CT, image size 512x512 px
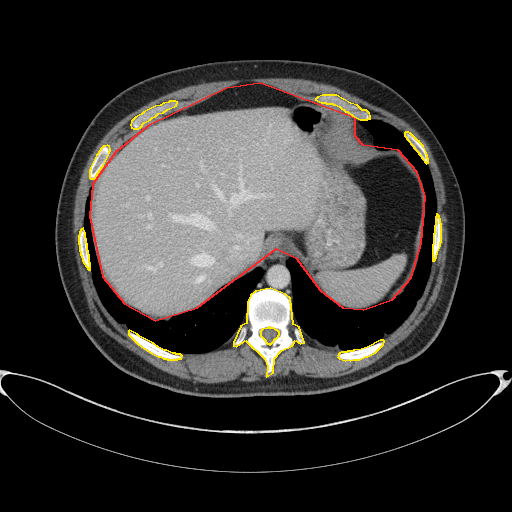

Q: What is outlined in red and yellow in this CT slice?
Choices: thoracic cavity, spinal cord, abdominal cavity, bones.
A: red: abdominal cavity; yellow: bones.
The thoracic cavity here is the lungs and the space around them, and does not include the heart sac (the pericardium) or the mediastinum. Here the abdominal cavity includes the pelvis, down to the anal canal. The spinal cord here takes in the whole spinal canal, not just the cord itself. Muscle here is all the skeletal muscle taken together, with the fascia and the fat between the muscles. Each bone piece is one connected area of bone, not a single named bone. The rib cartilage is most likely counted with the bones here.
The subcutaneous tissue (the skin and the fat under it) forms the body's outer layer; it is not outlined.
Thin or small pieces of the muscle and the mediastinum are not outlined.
Outlines:
abdominal cavity: (155, 320) (197, 307) (276, 248) (295, 257) (320, 290) (342, 307) (363, 309) (392, 299) (411, 277) (421, 243) (425, 196) (417, 172) (398, 150) (363, 145) (355, 136) (355, 118) (260, 83) (226, 88) (147, 126) (115, 152) (92, 184) (89, 216) (102, 276) (124, 303)
bones 1: (266, 376) (273, 372) (274, 358) (281, 350) (292, 345) (295, 340) (300, 343) (304, 342) (299, 327) (293, 324) (290, 298) (285, 294) (270, 288) (255, 291) (250, 295) (247, 302) (246, 323) (240, 326) (233, 342) (233, 345) (236, 346) (245, 340) (264, 358) (267, 366) with a hole at (269, 344) (270, 344) (274, 340) (274, 339) (275, 338) (276, 338) (278, 336) (278, 335) (279, 334) (279, 332) (277, 330) (276, 330) (273, 328) (270, 328) (269, 327) (268, 327) (267, 328) (262, 329) (260, 331) (260, 335) (265, 340) (265, 341) (267, 343) (268, 343)
bones 2: (360, 119) (367, 119) (368, 118) (370, 118) (370, 115) (369, 113) (366, 110) (362, 110) (357, 105) (350, 103) (336, 95) (322, 95) (317, 97) (315, 99) (321, 102) (325, 102) (326, 103) (332, 103) (333, 104) (335, 104) (339, 106) (345, 111) (347, 111) (352, 115)
bones 3: (167, 359) (177, 359) (178, 358) (181, 358) (182, 356) (180, 354) (176, 354) (175, 353) (172, 353) (166, 350) (164, 350) (158, 347) (153, 343) (139, 336) (137, 334) (129, 330) (128, 331) (128, 334) (138, 344) (150, 352) (158, 356) (160, 356) (163, 358) (166, 358)
bones 4: (133, 128) (138, 128) (140, 127) (144, 122) (150, 119) (152, 117) (155, 116) (158, 113) (163, 112) (167, 109) (176, 105) (177, 102) (175, 101) (169, 101) (168, 102) (163, 103) (160, 105) (155, 106) (143, 112) (141, 114) (135, 117) (131, 121) (130, 125) (131, 127)
bones 5: (345, 360) (348, 359) (350, 360) (353, 359) (359, 359) (365, 356) (367, 356) (375, 352) (383, 344) (384, 341) (383, 340) (380, 340) (367, 347) (361, 349) (353, 350) (352, 351) (347, 351) (346, 352) (341, 352) (339, 353) (337, 356) (339, 358)
bones 6: (90, 178) (94, 178) (97, 174) (97, 173) (99, 171) (99, 170) (101, 168) (101, 167) (103, 165) (109, 153) (109, 151) (110, 150) (110, 148) (109, 146) (107, 145) (105, 146) (103, 146) (100, 149) (100, 150) (96, 155) (90, 167) (90, 169) (89, 170) (89, 177)
bones 7: (432, 260) (434, 260) (436, 257) (437, 252) (440, 246) (440, 242) (441, 241) (441, 224) (440, 223) (440, 219) (439, 218) (439, 216) (437, 214) (436, 214) (436, 216) (435, 217) (435, 225) (434, 226) (434, 233) (433, 234) (433, 244) (432, 245)
bones 8: (88, 269) (90, 269) (90, 263) (89, 262) (89, 255) (88, 254) (88, 251) (87, 250) (87, 244) (86, 243) (85, 232) (83, 228) (81, 229) (79, 232) (79, 235) (78, 236) (78, 243) (79, 244) (79, 250) (80, 251) (80, 254) (81, 255) (82, 260)
bones 9: (426, 163) (428, 162) (428, 159) (427, 158) (427, 155) (426, 154) (426, 152) (423, 146) (419, 142) (419, 141) (418, 141) (410, 133) (408, 132) (405, 132) (404, 133) (404, 135) (406, 137) (406, 138) (413, 146) (413, 147) (418, 152) (418, 153) (421, 156) (421, 157)
spinal cord: (269, 344) (270, 344) (274, 340) (274, 339) (275, 338) (276, 338) (278, 336) (278, 335) (279, 334) (279, 332) (277, 330) (276, 330) (273, 328) (270, 328) (269, 327) (268, 327) (267, 328) (262, 329) (260, 331) (260, 335) (265, 340) (265, 341) (267, 343) (268, 343)
torso: (212, 398) (312, 395) (347, 388) (413, 360) (439, 334) (463, 259) (462, 194) (430, 127) (403, 96) (382, 81) (349, 68) (302, 60) (236, 59) (191, 65) (156, 74) (119, 92) (96, 113) (77, 143) (58, 198) (55, 252) (60, 279) (79, 324) (122, 371) (176, 393)
mediastinum 1: (291, 299) (292, 298) (291, 277) (289, 270) (287, 268) (285, 263) (288, 258) (287, 255) (285, 252) (277, 249) (267, 252) (260, 266) (263, 269) (263, 275) (257, 285) (254, 288) (253, 291) (264, 287) (270, 287) (285, 293)
mediastinum 2: (373, 149) (378, 149) (376, 148) (374, 145) (374, 141) (373, 140) (373, 137) (362, 126) (361, 126) (359, 124) (359, 122) (361, 120) (359, 119) (357, 119) (356, 118) (355, 119) (355, 129) (356, 130) (356, 136) (363, 144)
muscle: (206, 383) (224, 382) (234, 379) (239, 379) (242, 381) (255, 381) (256, 380) (260, 380) (263, 377) (267, 378) (276, 376) (286, 376) (290, 375) (292, 373) (295, 373) (299, 375) (304, 375) (308, 377) (336, 377) (337, 376) (341, 376) (365, 367) (376, 361) (407, 337) (423, 319) (437, 298) (444, 276) (445, 259) (446, 258) (446, 250) (447, 249) (447, 227) (446, 226) (447, 218) (446, 217) (446, 207) (445, 206) (445, 191) (441, 178) (441, 174) (427, 143) (418, 132) (407, 122) (391, 112) (374, 105) (333, 85) (307, 79) (302, 79) (301, 78) (280, 78) (279, 77) (274, 77) (273, 78) (248, 78) (247, 79) (234, 79) (233, 80) (203, 82) (195, 85) (190, 85) (167, 93) (150, 101) (145, 105) (125, 116) (118, 121) (99, 141) (89, 156) (80, 177) (80, 180) (76, 190) (75, 201) (74, 202) (74, 210) (73, 211) (73, 230) (72, 231) (74, 237) (74, 250) (76, 256) (78, 271) (81, 278) (81, 283) (86, 296) (90, 313) (95, 322) (102, 330) (123, 346) (140, 356) (149, 363) (168, 373) (176, 375) (179, 377) (186, 379) (191, 379) (193, 381) (199, 381) with holes at (266, 376) (281, 350) (304, 342) (302, 331) (342, 350) (341, 359) (375, 352) (420, 297) (441, 224) (426, 152) (410, 133) (336, 95) (315, 99) (349, 116) (243, 82) (126, 141) (90, 188) (78, 243) (103, 304) (138, 344) (177, 359) (237, 330) (233, 345) (255, 349) and at (133, 128) (138, 128) (140, 127) (144, 122) (150, 119) (152, 117) (155, 116) (158, 113) (163, 112) (167, 109) (176, 105) (177, 102) (175, 101) (169, 101) (168, 102) (163, 103) (160, 105) (155, 106) (143, 112) (141, 114) (135, 117) (131, 121) (130, 125) (131, 127) and at (90, 178) (94, 178) (97, 174) (97, 173) (99, 171) (99, 170) (101, 168) (101, 167) (103, 165) (109, 153) (109, 151) (110, 150) (110, 148) (109, 146) (107, 145) (105, 146) (103, 146) (100, 149) (100, 150) (96, 155) (90, 167) (90, 169) (89, 170) (89, 177)
thoracic cavity 1: (343, 351) (367, 346) (395, 329) (420, 297) (431, 264) (436, 200) (429, 170) (403, 134) (374, 119) (360, 124) (374, 137) (376, 147) (398, 149) (424, 186) (422, 243) (412, 277) (392, 300) (349, 310) (330, 301) (295, 258) (286, 262) (292, 277) (293, 320) (311, 339)
thoracic cavity 2: (176, 353) (201, 353) (221, 346) (238, 329) (246, 311) (247, 299) (261, 277) (262, 269) (255, 268) (241, 278) (226, 284) (193, 310) (169, 320) (152, 320) (124, 304) (101, 276) (91, 239) (88, 216) (89, 194) (85, 204) (84, 228) (91, 271) (103, 304) (126, 328)